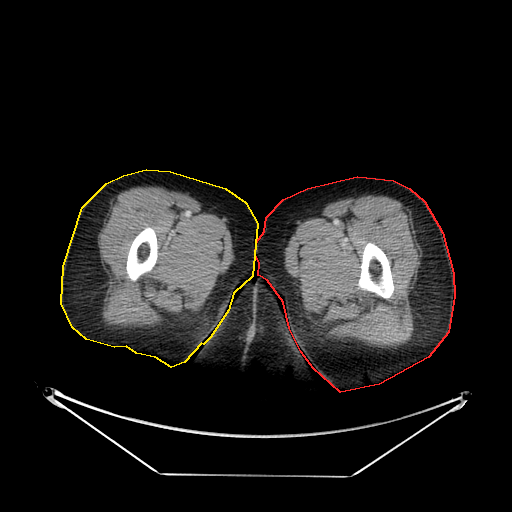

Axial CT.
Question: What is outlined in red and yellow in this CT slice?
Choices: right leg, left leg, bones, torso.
Answer: red: left leg; yellow: right leg.
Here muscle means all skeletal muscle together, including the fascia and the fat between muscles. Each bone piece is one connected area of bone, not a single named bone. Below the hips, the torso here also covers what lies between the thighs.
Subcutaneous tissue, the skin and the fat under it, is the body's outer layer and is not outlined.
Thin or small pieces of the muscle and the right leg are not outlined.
{"left_leg":[[[357,176],[393,180],[409,188],[424,201],[442,232],[453,273],[454,296],[448,332],[428,357],[379,384],[340,392],[313,368],[301,352],[289,328],[283,302],[267,280],[258,275],[259,263],[255,254],[256,242],[264,231],[266,217],[283,199],[307,188]]],"right_leg":[[[146,169],[170,171],[225,188],[245,202],[257,223],[252,276],[233,293],[228,310],[210,337],[203,344],[201,343],[184,362],[171,367],[155,357],[136,353],[126,346],[114,347],[86,339],[72,327],[61,303],[63,266],[82,207],[106,183],[123,175]]],"bones":[[[367,242],[372,242],[378,246],[385,253],[386,256],[391,262],[390,269],[394,282],[394,291],[392,295],[387,299],[381,298],[374,293],[358,289],[356,286],[356,284],[359,279],[360,271],[361,270],[360,265],[361,264],[362,252],[364,249],[364,246]],[[146,226],[152,227],[155,231],[155,234],[157,238],[157,244],[158,245],[157,260],[154,267],[150,272],[148,272],[142,275],[136,281],[132,281],[127,276],[127,273],[126,272],[126,261],[127,260],[128,251],[129,250],[131,242],[135,236]]],"muscle":[{"outer":[[364,194],[387,195],[408,207],[423,253],[417,280],[409,294],[413,315],[413,337],[409,343],[397,349],[379,349],[355,341],[320,341],[310,333],[313,330],[304,315],[301,298],[296,292],[295,278],[286,268],[286,249],[300,222],[315,217],[330,202]],"hole":[[367,242],[372,242],[378,246],[385,253],[386,256],[391,262],[390,269],[394,282],[394,291],[392,295],[387,299],[381,298],[374,293],[358,289],[356,286],[356,284],[359,279],[360,271],[361,270],[360,265],[361,264],[362,252],[364,249],[364,246]]},{"outer":[[144,185],[157,185],[188,193],[212,214],[221,218],[230,233],[233,259],[226,271],[217,277],[205,313],[196,322],[185,327],[114,329],[107,327],[101,321],[104,293],[107,288],[104,285],[108,276],[100,261],[98,233],[109,210],[110,200],[120,191]],"hole":[[146,226],[152,227],[155,231],[155,234],[157,238],[157,244],[158,245],[157,260],[154,267],[150,272],[148,272],[142,275],[136,281],[132,281],[127,276],[127,273],[126,272],[126,261],[127,260],[128,251],[129,250],[131,242],[135,236]]}],"torso":[[[258,276],[266,280],[278,297],[290,333],[300,352],[312,367],[316,380],[295,383],[291,380],[270,381],[255,373],[250,377],[244,377],[240,373],[228,377],[203,373],[190,368],[197,352],[220,325],[238,291],[250,278],[252,277],[254,280]]]}